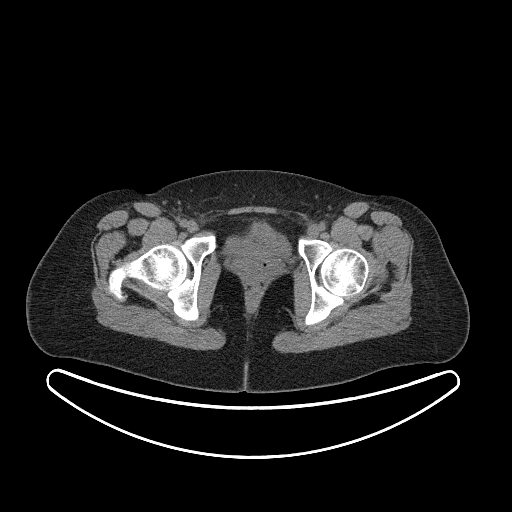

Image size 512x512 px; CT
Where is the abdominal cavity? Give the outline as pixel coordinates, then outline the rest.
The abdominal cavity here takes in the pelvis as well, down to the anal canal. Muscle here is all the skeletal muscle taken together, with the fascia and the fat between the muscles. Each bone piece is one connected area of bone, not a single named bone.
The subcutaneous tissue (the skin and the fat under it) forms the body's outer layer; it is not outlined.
abdominal cavity: 250,212 281,215 297,223 303,230 297,238 296,250 298,255 294,264 289,269 276,275 266,284 253,311 248,311 246,307 246,289 242,278 218,261 215,251 217,247 217,237 215,231 208,227 208,224 223,215
muscle: 134,201 154,202 194,218 211,210 248,205 294,210 314,218 354,201 381,204 401,218 414,241 411,324 391,335 342,346 280,353 272,347 272,340 277,332 292,327 292,286 274,281 265,291 257,315 248,322 242,287 222,273 209,317 209,323 221,328 226,336 224,345 217,350 174,346 105,327 95,318 91,298 94,276 90,244 95,226 105,214; inner edge: 250,212 281,215 300,237 365,257 363,288 323,320 304,323 311,286 299,255 253,311 242,278 215,251 202,260 196,320 137,278 123,280 123,301 109,292 114,268 158,244 214,234 208,224 218,217
bones 1: 211,233 215,234 216,247 202,260 197,288 199,315 196,320 179,317 174,312 173,302 165,290 154,288 137,278 127,277 123,280 123,301 109,292 108,275 114,268 139,257 158,244 168,243 178,247 192,236
bones 2: 299,237 326,241 334,249 343,247 354,249 365,257 369,267 366,282 359,293 345,296 343,298 343,303 332,309 326,318 317,323 309,325 306,325 304,320 311,304 311,286 305,261 299,255 297,250 297,242
torso: 233,169 293,172 361,193 394,195 416,205 435,226 468,301 469,333 461,351 442,363 397,366 340,384 272,393 182,387 43,352 32,340 27,327 28,283 59,229 80,205 110,190 132,188 151,193 174,181